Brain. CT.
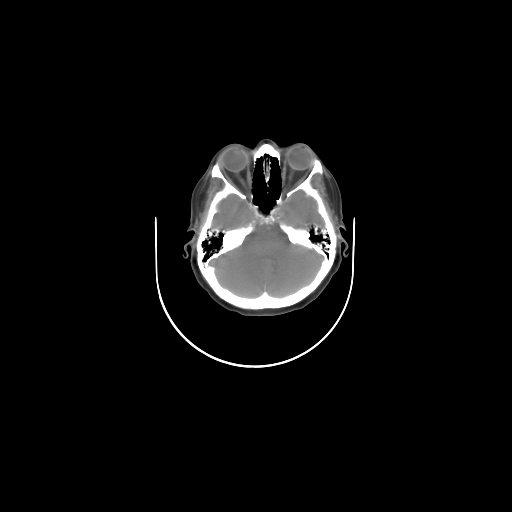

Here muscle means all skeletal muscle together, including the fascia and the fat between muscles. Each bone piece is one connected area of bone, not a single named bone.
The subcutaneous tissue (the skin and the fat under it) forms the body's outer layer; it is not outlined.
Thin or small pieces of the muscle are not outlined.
Outlines (x, y in pixels):
muscle 1: 211 168; 210 170; 211 177; 212 178; 218 178; 220 179; 222 181; 223 185; 220 189; 217 190; 214 193; 208 205; 205 214; 205 218; 199 228; 199 231; 197 235; 194 228; 195 217; 197 212; 197 205; 200 200; 200 191; 201 188
muscle 2: 324 170; 326 172; 329 178; 329 181; 331 184; 332 198; 334 201; 335 210; 338 218; 337 233; 331 220; 331 218; 329 215; 325 203; 321 195; 319 193; 319 191; 314 187; 311 183; 313 176; 315 174; 320 174; 321 175; 323 173
bones 1: 313 157; 316 157; 320 161; 323 171; 321 174; 315 173; 310 183; 318 191; 337 234; 336 254; 330 270; 311 293; 300 301; 288 306; 245 309; 220 298; 202 276; 196 261; 196 238; 215 193; 224 185; 220 178; 212 177; 212 167; 219 160; 220 170; 223 175; 243 193; 248 194; 251 191; 253 202; 262 210; 267 210; 274 205; 281 190; 287 191; 293 188; 309 174; 313 166 with holes at 275 223; 277 223; 279 229; 291 244; 312 249; 321 256; 319 266; 311 279; 297 289; 283 295; 273 295; 266 290; 253 296; 241 295; 223 285; 216 274; 216 269; 211 263; 212 261; 240 247; 246 238; 255 230; 257 224; 272 225 and at 299 191; 302 191; 306 196; 312 198; 315 201; 316 211; 323 223; 322 226; 320 226; 317 223; 314 223; 311 226; 307 225; 305 227; 296 227; 291 224; 286 223; 283 220; 280 219; 278 215; 278 212; 280 209; 289 201; 294 194 and at 230 195; 235 195; 244 202; 249 209; 252 211; 254 215; 254 218; 250 220; 245 225; 241 225; 240 226; 232 227; 231 228; 220 228; 217 226; 213 226; 213 220; 214 219; 214 217; 219 210; 218 208; 219 203; 222 200; 225 199
bones 2: 265 142; 273 144; 279 150; 280 153; 279 167; 276 159; 274 157; 270 158; 273 162; 273 165; 270 172; 268 187; 264 181; 264 176; 262 174; 261 169; 261 163; 263 158; 260 157; 257 159; 254 169; 252 160; 253 150
brain 1: 275 223; 277 223; 279 229; 291 244; 312 249; 321 256; 319 266; 311 279; 297 289; 283 295; 273 295; 266 290; 253 296; 241 295; 223 285; 216 274; 216 269; 211 263; 212 261; 240 247; 246 238; 255 230; 257 224; 272 225
brain 2: 299 191; 302 191; 306 196; 312 198; 315 201; 316 211; 323 223; 322 226; 320 226; 317 223; 314 223; 311 226; 307 225; 305 227; 296 227; 291 224; 286 223; 283 220; 280 219; 278 215; 278 212; 280 209; 289 201; 294 194
brain 3: 230 195; 235 195; 244 202; 249 209; 252 211; 254 215; 254 218; 250 220; 245 225; 241 225; 240 226; 232 227; 231 228; 220 228; 217 226; 213 226; 213 220; 214 219; 214 217; 219 210; 218 208; 219 203; 222 200; 225 199
head: 265 136; 281 144; 303 142; 319 154; 341 192; 346 226; 341 233; 348 244; 348 256; 323 292; 304 308; 276 316; 243 316; 215 303; 196 282; 189 260; 181 255; 192 236; 191 231; 186 231; 191 192; 214 153; 233 142; 253 146 with a hole at 260 158; 262 158; 260 163; 261 174; 267 188; 270 186; 269 181; 274 165; 274 162; 271 158; 275 159; 280 170; 281 189; 278 196; 274 200; 273 205; 267 209; 262 209; 257 203; 254 202; 254 195; 252 192; 253 174; 257 161